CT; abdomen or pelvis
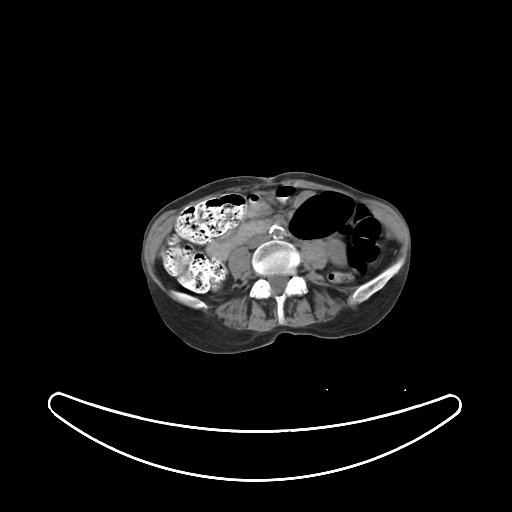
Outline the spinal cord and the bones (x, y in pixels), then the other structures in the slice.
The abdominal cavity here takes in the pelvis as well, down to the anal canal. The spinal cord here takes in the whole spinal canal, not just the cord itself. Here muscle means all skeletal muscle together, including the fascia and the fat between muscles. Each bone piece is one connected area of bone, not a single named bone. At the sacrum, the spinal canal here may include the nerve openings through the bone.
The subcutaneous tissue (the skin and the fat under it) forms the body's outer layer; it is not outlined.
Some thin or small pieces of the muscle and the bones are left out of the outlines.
Outlines (x, y in pixels):
spinal cord: 273 275; 283 275; 284 276; 287 276; 288 277; 288 279; 286 282; 285 287; 284 288; 283 291; 281 293; 276 293; 275 292; 274 292; 270 285; 270 283; 269 282; 269 281; 267 279; 267 278; 268 277; 269 277; 270 276; 272 276
bones 1: 272 240; 292 243; 299 251; 300 262; 297 265; 296 271; 300 277; 304 277; 307 287; 306 293; 301 295; 293 294; 285 299; 282 324; 278 322; 277 304; 272 297; 256 298; 249 296; 253 283; 259 277; 251 263; 252 254; 260 244, around a hole outlined by 273 275; 283 275; 284 276; 287 276; 288 277; 288 279; 286 282; 285 287; 284 288; 283 291; 281 293; 276 293; 275 292; 274 292; 270 285; 270 283; 269 282; 269 281; 267 279; 267 278; 268 277; 269 277; 270 276; 272 276
bones 2: 403 255; 405 255; 405 257; 406 258; 406 260; 404 264; 382 288; 376 291; 367 299; 364 300; 360 303; 358 303; 354 305; 351 305; 348 303; 348 298; 349 296; 358 286; 370 280; 376 276; 388 265
bones 3: 170 290; 173 290; 174 291; 179 291; 180 292; 185 292; 195 297; 197 297; 198 299; 201 300; 207 305; 207 308; 206 309; 194 309; 189 306; 184 305; 172 299; 170 297; 169 295; 169 291
muscle 1: 311 271; 335 286; 356 287; 347 303; 359 304; 357 307; 341 311; 328 322; 303 327; 278 325; 257 332; 229 328; 195 310; 206 310; 208 306; 237 298; 254 281; 248 296; 272 298; 277 322; 282 325; 286 299; 308 292; 304 276
muscle 2: 287 178; 304 179; 333 186; 355 196; 374 199; 388 205; 400 216; 405 224; 409 241; 407 258; 403 254; 390 263; 397 246; 395 239; 366 205; 351 196; 334 189; 308 189; 288 187; 280 183; 279 183; 264 183; 258 187; 250 190; 210 195; 191 204; 178 214; 155 257; 156 272; 164 287; 169 289; 169 297; 151 279; 144 258; 144 246; 153 223; 164 212; 179 208; 192 200; 232 186; 255 183; 275 182
muscle 3: 315 241; 320 242; 323 245; 323 246; 325 248; 325 251; 327 254; 327 261; 325 265; 322 268; 320 269; 310 269; 308 268; 303 263; 302 261; 302 259; 301 258; 301 254; 299 250; 300 248; 302 247; 306 242; 314 242
muscle 4: 243 244; 247 246; 249 251; 251 253; 251 257; 250 258; 250 263; 251 264; 251 267; 248 272; 247 272; 239 278; 237 278; 236 279; 229 269; 229 265; 228 264; 228 262; 229 261; 229 256; 232 249; 237 246; 240 246
abdominal cavity: 264 184; 362 203; 394 239; 393 257; 348 287; 299 275; 301 259; 310 270; 326 265; 320 241; 298 249; 272 239; 252 253; 243 243; 231 249; 234 278; 252 266; 258 277; 237 297; 208 305; 166 288; 156 257; 177 217; 210 196
torso: 288 171; 339 180; 382 197; 400 210; 409 225; 412 245; 410 269; 397 301; 378 323; 354 335; 322 338; 282 333; 269 344; 228 354; 209 353; 188 345; 160 318; 148 291; 140 248; 149 220; 167 203; 214 180; 230 176; 269 177